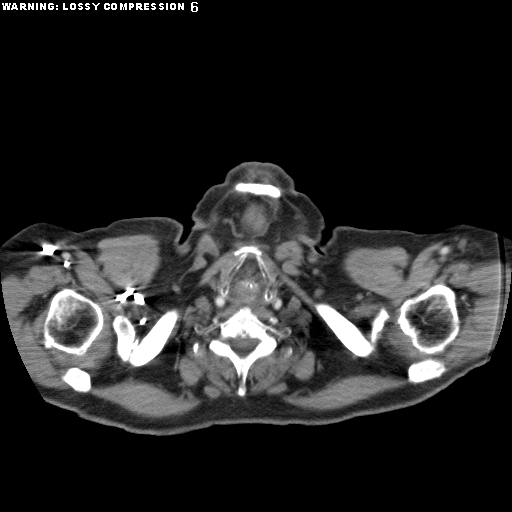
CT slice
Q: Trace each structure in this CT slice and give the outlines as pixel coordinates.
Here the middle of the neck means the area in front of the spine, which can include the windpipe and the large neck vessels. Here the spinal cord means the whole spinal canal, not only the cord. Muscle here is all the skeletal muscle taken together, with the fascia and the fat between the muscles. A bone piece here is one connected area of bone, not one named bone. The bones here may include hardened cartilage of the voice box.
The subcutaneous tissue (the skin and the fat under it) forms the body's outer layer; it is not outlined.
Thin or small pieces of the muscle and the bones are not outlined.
A: The torso appears in 2 outlined pieces: piece 1: 152 215; 169 216; 183 224; 180 238; 182 241; 185 239; 183 262; 168 343; 174 377; 183 396; 197 412; 210 423; 225 425; 217 424; 166 436; 138 434; 80 418; 74 412; 46 401; 87 350; 95 333; 97 282; 82 231; 122 218; piece 2: 336 225; 350 225; 368 229; 397 229; 393 258; 393 292; 397 312; 404 327; 419 347; 457 379; 435 395; 412 406; 322 425; 276 425; 297 416; 311 406; 317 397; 320 378; 320 345; 309 294; 308 279; 321 246; 330 236; 331 229. The middle of the neck is outlined by 249 254; 254 256; 266 286; 263 291; 263 299; 268 302; 273 294; 277 295; 283 301; 282 307; 274 309; 271 307; 250 307; 248 305; 238 307; 236 305; 234 307; 216 308; 215 299; 218 291; 224 298; 228 295; 231 272; 238 270. The right arm is outlined by 42 221; 54 223; 74 231; 81 231; 86 241; 88 255; 92 263; 96 282; 96 311; 94 333; 92 339; 83 354; 50 396; 45 400; 37 387; 31 381; 12 338; 7 325; 0 291; 2 284; 0 273; 0 245; 9 237; 26 226. The left arm is outlined by 457 223; 466 223; 490 229; 507 236; 511 240; 511 291; 508 293; 508 304; 495 352; 485 364; 472 369; 459 378; 451 374; 433 360; 412 337; 405 327; 398 312; 394 292; 395 242; 398 229; 416 233; 432 233; 438 232; 450 225. The head and neck is outlined by 246 161; 271 162; 283 168; 293 179; 296 189; 319 208; 326 225; 322 231; 323 242; 307 279; 319 345; 316 397; 297 415; 276 424; 210 422; 184 396; 175 377; 169 352; 186 238; 194 224; 192 212; 208 188; 220 183; 228 170. The spinal cord is outlined by 238 336; 242 338; 245 338; 246 337; 248 337; 252 339; 257 339; 257 342; 254 348; 247 354; 243 356; 241 356; 239 355; 231 347; 231 345; 230 344; 230 341; 229 340; 230 339; 233 339. The muscle is outlined by 249 168; 272 172; 299 209; 301 219; 292 211; 260 241; 295 239; 312 286; 345 286; 340 266; 351 248; 399 245; 413 258; 451 236; 510 266; 493 356; 441 377; 440 359; 413 361; 407 381; 425 384; 333 410; 261 392; 151 419; 36 386; 7 325; 5 277; 66 264; 70 248; 97 258; 105 237; 152 233; 162 257; 154 281; 175 283; 204 232; 231 247; 231 226; 210 212; inner edges: 244 245; 261 251; 263 281; 283 301; 280 309; 250 308; 266 324; 273 318; 272 325; 283 334; 272 353; 250 366; 245 395; 239 396; 241 378; 233 364; 207 347; 219 329; 207 328; 239 308; 216 308; 215 299; 236 269; 233 252, then 432 285; 445 285; 448 286; 454 291; 456 296; 456 307; 460 322; 457 335; 443 351; 433 354; 426 354; 418 351; 412 345; 410 338; 401 330; 397 322; 397 319; 400 313; 399 310; 400 306; 406 299; 413 297; 425 291, then 63 288; 71 288; 77 292; 81 293; 97 303; 101 307; 102 310; 102 314; 103 315; 102 329; 97 337; 93 341; 91 346; 86 353; 81 356; 68 353; 55 347; 46 348; 43 344; 43 323; 48 309; 49 302; 52 296; 56 292, then 174 307; 178 310; 178 318; 164 346; 157 355; 146 364; 141 366; 133 366; 130 363; 123 361; 117 355; 115 351; 116 334; 112 326; 113 319; 116 315; 123 315; 131 322; 135 330; 135 335; 140 340; 166 310, then 318 301; 323 301; 330 304; 352 322; 367 338; 369 337; 370 320; 381 307; 383 306; 385 307; 388 311; 389 317; 384 323; 382 330; 379 333; 379 337; 375 343; 375 349; 368 356; 360 357; 355 355; 345 347; 316 311; 314 303, then 237 182; 258 182; 259 183; 269 183; 270 184; 272 184; 275 186; 277 186; 279 187; 281 189; 281 195; 278 198; 273 198; 267 195; 256 195; 255 194; 253 194; 249 192; 238 192; 234 190; 233 188; 233 186, then 70 367; 78 367; 79 368; 86 371; 89 374; 89 375; 90 376; 90 379; 91 380; 91 388; 89 390; 89 391; 88 391; 87 392; 78 392; 77 391; 74 390; 61 378; 62 375; 63 375; 64 374; 64 373; 66 371; 66 370, then 196 341; 199 343; 199 345; 200 346; 199 347; 199 349; 200 350; 201 350; 202 351; 203 351; 203 353; 201 355; 195 355; 193 353; 193 352; 192 351; 192 349; 191 348; 191 347; 192 346; 192 344; 194 342; 195 342, then 289 347; 290 347; 291 347; 292 348; 292 349; 292 350; 292 351; 292 352; 292 353; 291 354; 290 355; 289 356; 288 356; 287 356; 286 356; 285 355; 285 354; 286 353; 286 352; 286 351; 287 350; 287 349; 288 348. The bones appear in 11 outlined pieces: piece 1: 432 285; 445 285; 448 286; 454 291; 456 296; 456 307; 460 322; 457 335; 443 351; 433 354; 426 354; 418 351; 412 345; 410 338; 401 330; 397 322; 397 319; 400 313; 399 310; 400 306; 406 299; 413 297; 425 291; piece 2: 63 288; 71 288; 77 292; 81 293; 97 303; 101 307; 102 310; 102 314; 103 315; 102 329; 97 337; 93 341; 91 346; 86 353; 81 356; 68 353; 55 347; 46 348; 43 344; 43 323; 48 309; 49 302; 52 296; 56 292; piece 3: 243 306; 248 306; 266 324; 270 324; 269 319; 273 318; 272 325; 283 334; 276 337; 278 346; 272 353; 258 358; 250 366; 245 395; 239 396; 237 389; 241 378; 233 364; 207 347; 219 329; 208 332; 207 328; 214 320; 224 321, around a hole outlined by 238 336; 242 338; 245 338; 246 337; 248 337; 252 339; 257 339; 257 342; 254 348; 247 354; 243 356; 241 356; 239 355; 231 347; 231 345; 230 344; 230 341; 229 340; 230 339; 233 339; piece 4: 174 307; 178 310; 178 318; 164 346; 157 355; 146 364; 141 366; 133 366; 130 363; 123 361; 117 355; 115 351; 116 334; 112 326; 113 319; 116 315; 123 315; 131 322; 135 330; 135 335; 140 340; 166 310; piece 5: 318 301; 323 301; 330 304; 352 322; 367 338; 369 337; 370 320; 381 307; 383 306; 385 307; 388 311; 389 317; 384 323; 382 330; 379 333; 379 337; 375 343; 375 349; 368 356; 360 357; 355 355; 345 347; 316 311; 314 303; piece 6: 429 357; 438 359; 443 362; 446 370; 439 377; 433 378; 430 380; 427 380; 424 382; 421 382; 420 383; 412 383; 408 381; 408 379; 407 378; 407 369; 409 365; 413 362; 416 362; 417 361; 419 361; 420 360; 422 360; piece 7: 237 182; 258 182; 259 183; 269 183; 270 184; 272 184; 275 186; 277 186; 279 187; 281 189; 281 195; 278 198; 273 198; 267 195; 256 195; 255 194; 253 194; 249 192; 238 192; 234 190; 233 188; 233 186; piece 8: 70 367; 78 367; 79 368; 86 371; 89 374; 89 375; 90 376; 90 379; 91 380; 91 388; 89 390; 89 391; 88 391; 87 392; 78 392; 77 391; 74 390; 61 378; 62 375; 63 375; 64 374; 64 373; 66 371; 66 370; piece 9: 244 245; 254 245; 261 251; 261 258; 263 260; 266 268; 263 271; 265 273; 265 277; 262 277; 261 270; 258 266; 255 256; 251 253; 248 254; 240 267; 238 269; 236 269; 236 265; 238 263; 238 257; 234 255; 233 252; 241 246; piece 10: 226 280; 229 280; 230 281; 230 283; 229 284; 229 289; 228 290; 228 293; 227 294; 227 295; 225 297; 224 297; 220 293; 219 293; 219 288; 222 285; 222 284; 223 283; 223 282; 224 281; 225 281; piece 11: 196 341; 199 343; 199 345; 200 346; 199 347; 199 349; 200 350; 201 350; 202 351; 203 351; 203 353; 201 355; 195 355; 193 353; 193 352; 192 351; 192 349; 191 348; 191 347; 192 346; 192 344; 194 342; 195 342.